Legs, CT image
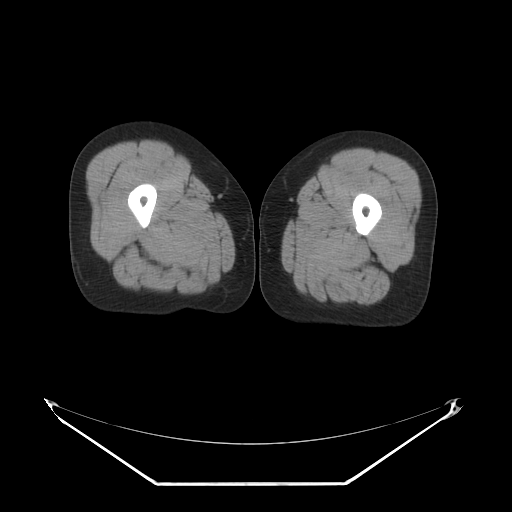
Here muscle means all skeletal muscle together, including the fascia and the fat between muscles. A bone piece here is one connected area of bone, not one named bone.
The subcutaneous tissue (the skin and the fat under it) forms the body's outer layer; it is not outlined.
Outlines (x, y in pixels):
left leg: [[348,129],[377,130],[401,138],[422,156],[431,171],[436,186],[438,215],[430,288],[424,307],[419,315],[413,321],[403,326],[344,327],[297,324],[274,313],[269,308],[261,294],[259,285],[258,219],[260,204],[269,183],[279,169],[305,146],[327,134]]
right leg: [[138,119],[150,119],[166,122],[191,133],[217,156],[245,191],[251,204],[254,221],[255,279],[249,298],[236,311],[219,314],[185,309],[167,316],[110,314],[91,306],[80,293],[73,276],[69,252],[68,190],[71,170],[79,151],[94,135],[114,124]]
muscle 1: [[135,137],[159,139],[178,146],[186,153],[197,173],[210,186],[216,195],[233,229],[239,256],[239,264],[235,274],[217,291],[192,297],[132,294],[116,284],[109,271],[95,255],[89,239],[90,210],[83,189],[83,181],[87,165],[92,157],[107,145]] with a hole at [[142,183],[150,183],[152,184],[155,187],[156,191],[157,192],[156,202],[155,203],[155,206],[154,207],[154,209],[153,210],[150,221],[148,225],[144,228],[139,224],[136,218],[128,207],[128,205],[127,204],[127,197],[128,196],[129,192],[134,187]]
muscle 2: [[349,145],[364,145],[387,149],[405,157],[416,170],[422,194],[420,213],[415,227],[416,249],[409,264],[402,266],[398,270],[387,295],[375,306],[315,306],[305,301],[297,292],[279,263],[278,253],[281,236],[290,207],[301,186],[313,174],[329,151]], around a hole outlined by [[360,192],[365,192],[366,193],[368,193],[372,195],[375,198],[376,198],[378,200],[381,206],[381,210],[382,211],[380,219],[375,225],[375,226],[367,235],[362,235],[357,232],[355,228],[355,222],[352,215],[352,202],[353,201],[353,199],[354,197]]
bones 1: [[360,192],[365,192],[366,193],[368,193],[372,195],[375,198],[376,198],[378,200],[381,206],[381,210],[382,211],[380,219],[375,225],[375,226],[367,235],[362,235],[357,232],[355,228],[355,222],[352,215],[352,202],[353,201],[353,199],[354,197]]
bones 2: [[142,183],[150,183],[152,184],[155,187],[156,191],[157,192],[156,202],[155,203],[155,206],[154,207],[154,209],[153,210],[150,221],[148,225],[144,228],[139,224],[136,218],[128,207],[128,205],[127,204],[127,197],[128,196],[129,192],[134,187]]